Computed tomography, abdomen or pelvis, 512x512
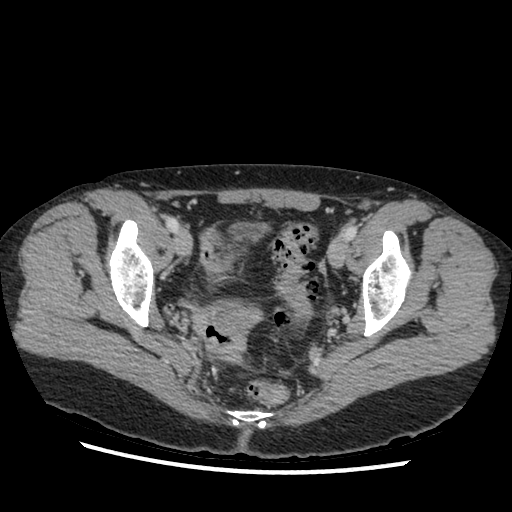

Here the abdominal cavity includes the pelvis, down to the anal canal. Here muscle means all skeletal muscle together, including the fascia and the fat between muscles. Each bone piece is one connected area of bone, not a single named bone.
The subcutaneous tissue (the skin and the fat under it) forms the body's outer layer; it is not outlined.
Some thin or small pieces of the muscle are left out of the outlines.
abdominal cavity: 180 195; 215 195; 223 204; 263 202; 300 211; 314 210; 321 199; 329 199; 375 210; 345 258; 359 290; 355 313; 317 362; 315 384; 279 408; 243 409; 222 402; 200 358; 166 328; 156 282; 170 264; 174 246; 156 215; 160 201
bones 1: 388 229; 395 232; 398 236; 402 255; 411 265; 413 269; 413 273; 406 287; 405 298; 394 316; 381 329; 370 336; 364 336; 363 333; 365 327; 365 321; 363 299; 361 294; 362 275; 366 267; 382 252; 383 249; 382 237; 384 231
bones 2: 126 219; 132 219; 136 222; 137 224; 136 241; 141 249; 150 259; 154 272; 154 285; 152 288; 152 294; 149 304; 148 326; 147 327; 142 327; 137 324; 120 306; 112 289; 111 280; 109 275; 108 258; 116 243; 120 227; 122 223
bones 3: 226 409; 230 410; 236 410; 237 409; 239 410; 259 410; 265 412; 274 412; 277 413; 275 415; 268 418; 266 420; 265 427; 261 429; 257 427; 254 422; 247 422; 242 420; 238 426; 234 426; 231 422; 231 417; 224 412; 224 410
muscle: 108 186; 432 202; 471 227; 498 263; 494 340; 480 359; 453 371; 362 396; 298 427; 263 429; 273 410; 316 384; 318 362; 356 313; 360 290; 346 258; 376 210; 329 198; 300 210; 174 195; 157 203; 155 215; 173 246; 156 278; 157 309; 167 331; 199 358; 221 402; 236 409; 223 410; 231 424; 260 429; 199 423; 102 369; 28 352; 15 336; 25 282; 17 254; 32 224; 53 206; inner edges: 388 229; 395 232; 398 236; 402 255; 411 265; 413 269; 413 273; 406 287; 405 298; 394 316; 381 329; 370 336; 364 336; 363 333; 365 327; 365 321; 363 299; 361 294; 362 275; 366 267; 382 252; 383 249; 382 237; 384 231, then 126 219; 132 219; 136 222; 137 224; 136 241; 141 249; 150 259; 154 272; 154 285; 152 288; 152 294; 149 304; 148 326; 147 327; 142 327; 137 324; 120 306; 112 289; 111 280; 109 275; 108 258; 116 243; 120 227; 122 223
torso: 215 163; 322 165; 401 180; 434 194; 511 248; 508 297; 499 335; 477 384; 452 417; 413 437; 399 437; 364 451; 261 459; 244 453; 228 455; 162 447; 46 403; 24 365; 9 325; 0 272; 3 233; 28 211; 78 184; 126 170